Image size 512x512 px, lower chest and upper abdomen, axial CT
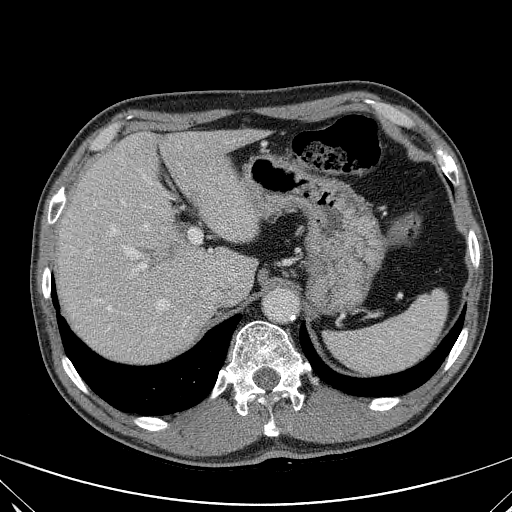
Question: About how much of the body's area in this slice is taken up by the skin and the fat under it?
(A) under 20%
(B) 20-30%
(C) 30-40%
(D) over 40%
Answer: (A) under 20%
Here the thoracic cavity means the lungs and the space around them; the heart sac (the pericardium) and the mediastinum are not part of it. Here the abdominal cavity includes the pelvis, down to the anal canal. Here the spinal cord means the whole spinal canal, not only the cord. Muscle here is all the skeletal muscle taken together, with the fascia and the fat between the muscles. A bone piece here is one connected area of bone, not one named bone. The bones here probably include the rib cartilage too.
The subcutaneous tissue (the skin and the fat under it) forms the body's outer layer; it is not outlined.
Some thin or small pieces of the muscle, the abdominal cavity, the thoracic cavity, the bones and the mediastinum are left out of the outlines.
Outlined structures:
muscle: 357 90; 415 112; 451 148; 465 180; 482 235; 483 279; 477 333; 450 380; 418 413; 370 437; 318 443; 278 436; 273 405; 288 398; 298 411; 306 397; 299 389; 302 376; 315 386; 320 380; 346 394; 371 398; 370 410; 386 411; 444 361; 442 370; 447 371; 468 339; 464 320; 470 261; 479 267; 480 246; 471 227; 466 235; 458 215; 457 165; 440 145; 433 153; 408 129; 416 123; 405 112; 364 97; 365 104; 290 119; 240 112; 207 122; 137 122; 120 131; 123 122; 116 120; 90 141; 91 155; 67 195; 61 185; 46 214; 46 222; 54 225; 53 243; 41 292; 54 309; 65 353; 60 355; 63 370; 83 393; 88 395; 89 388; 114 408; 137 415; 132 422; 152 432; 170 425; 161 417; 207 397; 213 400; 229 385; 238 414; 245 416; 248 403; 255 401; 267 408; 269 418; 262 426; 266 436; 241 449; 193 456; 125 435; 86 411; 55 371; 36 288; 45 201; 81 143; 129 108; 194 112; 281 106
thoracic cavity 1: 52 275; 59 313; 71 331; 93 352; 118 364; 153 366; 169 362; 195 346; 210 329; 235 314; 241 314; 227 352; 227 362; 218 371; 208 395; 191 407; 162 416; 138 415; 122 411; 100 397; 84 381; 65 352; 51 297
thoracic cavity 2: 465 305; 466 309; 463 325; 443 362; 421 385; 399 395; 366 397; 349 394; 337 389; 321 380; 314 373; 310 362; 297 347; 299 346; 300 326; 303 322; 315 352; 332 370; 354 378; 376 378; 397 374; 417 365; 436 349; 455 324
mediastinum 1: 273 288; 287 288; 297 294; 297 296; 301 301; 303 313; 298 332; 298 346; 294 344; 290 338; 289 334; 281 326; 264 319; 253 319; 250 320; 240 326; 235 332; 235 330; 242 318; 242 314; 258 298; 267 292; 268 290; 271 290
mediastinum 2: 400 126; 412 132; 418 138; 419 138; 419 139; 421 140; 423 142; 423 143; 425 144; 426 146; 427 146; 427 147; 430 150; 430 151; 429 150; 423 150; 421 149; 415 143; 414 140; 412 138; 411 138; 408 135; 404 133; 400 129
torso: 337 80; 373 81; 407 94; 445 130; 464 159; 493 256; 489 315; 469 367; 415 429; 345 453; 271 458; 246 467; 192 467; 152 457; 107 437; 78 415; 56 389; 41 356; 31 306; 29 268; 35 211; 64 150; 93 116; 130 97
spinal cord: 263 367; 268 367; 274 370; 277 373; 278 373; 278 374; 280 376; 280 378; 278 382; 269 391; 267 391; 265 389; 257 385; 253 380; 253 375; 254 373; 256 371; 257 371; 259 369
bones 1: 253 320; 281 327; 319 379; 315 385; 301 376; 298 389; 305 397; 298 410; 288 397; 273 403; 280 429; 277 436; 264 434; 263 426; 270 418; 265 405; 253 400; 247 403; 245 415; 237 412; 231 384; 208 398; 228 362; 235 333; inner edge: 263 367; 268 367; 274 370; 277 373; 278 373; 278 374; 280 376; 280 378; 278 382; 269 391; 267 391; 265 389; 257 385; 253 380; 253 375; 254 373; 256 371; 257 371; 259 369
bones 2: 364 98; 373 99; 376 101; 387 103; 393 106; 395 108; 398 109; 400 111; 405 113; 409 116; 414 121; 415 125; 411 128; 406 128; 401 125; 398 125; 390 121; 387 118; 383 117; 381 115; 379 115; 369 105; 363 102; 362 100
bones 3: 438 146; 440 146; 452 157; 456 165; 456 167; 458 171; 458 176; 459 177; 459 184; 456 186; 454 186; 446 177; 446 176; 442 171; 440 167; 440 165; 438 163; 438 161; 436 158; 436 156; 434 152; 435 151; 435 149
bones 4: 116 121; 120 121; 122 122; 122 125; 119 131; 116 134; 116 135; 103 148; 101 149; 99 149; 96 151; 91 151; 89 149; 89 145; 91 141; 100 132; 100 131; 101 131; 104 128; 107 127; 113 122; 115 122
bones 5: 61 186; 64 186; 65 187; 65 195; 66 196; 66 200; 65 201; 65 204; 59 216; 57 218; 55 223; 53 224; 49 224; 47 222; 47 214; 48 213; 48 208; 49 207; 49 202; 52 196
bones 6: 463 326; 466 326; 468 327; 468 334; 467 335; 467 339; 466 340; 466 342; 462 350; 460 352; 460 353; 458 355; 454 362; 447 370; 444 371; 443 370; 443 368; 444 367; 445 360; 451 348; 453 346; 455 341; 457 339
bones 7: 139 415; 141 416; 153 416; 154 417; 160 417; 164 420; 167 421; 169 425; 164 429; 161 429; 160 430; 157 430; 156 431; 152 431; 151 430; 149 430; 148 429; 146 429; 145 428; 140 427; 133 422; 133 419; 136 416; 138 416
bones 8: 62 354; 65 354; 68 357; 68 358; 72 363; 73 366; 75 368; 83 381; 87 385; 87 387; 89 391; 89 393; 88 394; 86 394; 84 392; 83 392; 72 381; 72 380; 64 370; 63 366; 62 365; 62 363; 61 362; 61 355
bones 9: 471 228; 475 233; 475 235; 476 236; 476 238; 478 242; 478 245; 479 246; 479 265; 477 268; 475 268; 471 263; 471 261; 470 260; 470 256; 468 252; 468 245; 467 244; 467 241; 466 240; 466 237; 468 234; 468 231; 469 229
bones 10: 393 396; 398 396; 401 399; 401 400; 398 403; 397 403; 394 406; 393 406; 389 409; 387 409; 386 410; 382 410; 381 411; 380 410; 372 410; 368 407; 368 404; 369 403; 370 400; 372 398; 379 398; 380 397; 392 397
bones 11: 46 266; 47 266; 48 267; 49 267; 50 268; 50 269; 51 270; 51 290; 50 291; 50 297; 51 298; 51 299; 46 299; 44 297; 44 296; 43 295; 43 293; 42 292; 42 274; 43 273; 43 270; 44 269; 44 268
abdominal cavity: 348 105; 369 106; 434 154; 453 190; 469 256; 466 303; 423 360; 376 377; 332 369; 312 344; 302 301; 287 287; 268 289; 163 363; 110 361; 72 331; 60 313; 51 269; 54 224; 93 152; 131 124; 207 123; 240 113; 290 120